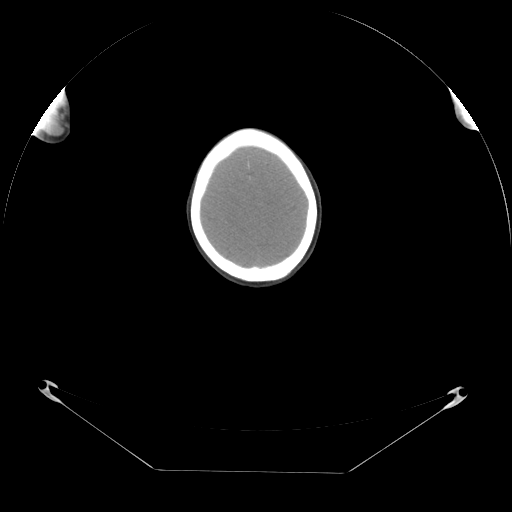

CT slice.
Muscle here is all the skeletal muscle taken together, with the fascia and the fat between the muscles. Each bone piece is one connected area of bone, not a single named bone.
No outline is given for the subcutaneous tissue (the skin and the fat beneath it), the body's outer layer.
{"right_arm":[[[65,86],[65,88],[64,89],[65,91],[65,95],[67,98],[68,105],[70,109],[69,130],[65,138],[61,141],[48,142],[47,141],[42,141],[36,137],[32,136],[31,133],[35,128],[38,121],[40,120],[43,113],[51,104],[53,99],[59,94]]],"left_arm":[[[454,95],[454,97],[464,106],[464,107],[467,110],[467,111],[471,116],[471,117],[472,118],[472,120],[473,121],[469,124],[469,126],[471,128],[465,128],[464,127],[463,127],[457,121],[457,120],[454,115],[454,110],[453,109],[453,96]]],"bones":[{"outer":[[243,127],[254,127],[265,130],[285,142],[293,150],[303,164],[316,197],[317,220],[312,241],[305,255],[299,263],[286,276],[276,280],[245,281],[223,271],[202,250],[196,240],[191,226],[190,200],[196,172],[202,159],[210,148],[222,137],[238,128]],"hole":[[244,147],[259,148],[275,155],[284,164],[293,176],[303,192],[306,200],[304,227],[297,245],[288,255],[279,261],[263,266],[258,265],[244,266],[224,256],[210,241],[204,229],[201,218],[202,199],[206,192],[215,168],[220,162],[227,158],[237,149]]}],"muscle":[[[57,96],[59,96],[61,97],[62,99],[62,101],[65,106],[65,128],[64,130],[63,130],[61,132],[61,133],[57,135],[49,135],[45,133],[39,127],[38,125],[38,123],[43,113],[45,111],[45,110],[51,104],[53,99]]],"brain":[[[244,147],[259,148],[275,155],[284,164],[293,176],[303,192],[306,200],[304,227],[297,245],[288,255],[279,261],[263,266],[258,265],[244,266],[224,256],[210,241],[204,229],[201,218],[202,199],[206,192],[215,168],[220,162],[227,158],[237,149]]],"head":[[[243,127],[257,127],[269,130],[291,146],[311,169],[318,184],[322,199],[322,226],[317,245],[311,257],[300,271],[290,280],[280,285],[268,288],[242,287],[221,277],[200,257],[192,243],[186,225],[185,200],[190,182],[200,162],[218,139],[228,132]]]}